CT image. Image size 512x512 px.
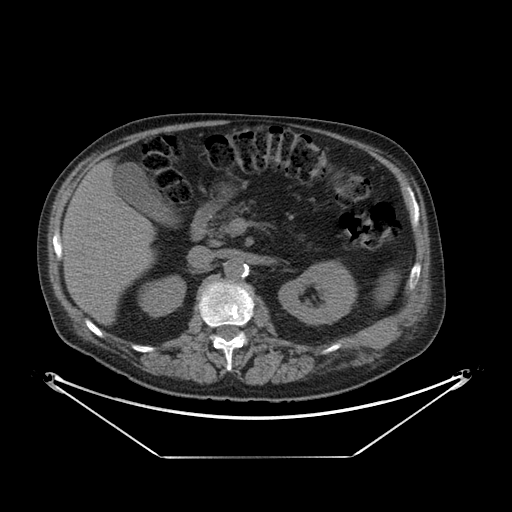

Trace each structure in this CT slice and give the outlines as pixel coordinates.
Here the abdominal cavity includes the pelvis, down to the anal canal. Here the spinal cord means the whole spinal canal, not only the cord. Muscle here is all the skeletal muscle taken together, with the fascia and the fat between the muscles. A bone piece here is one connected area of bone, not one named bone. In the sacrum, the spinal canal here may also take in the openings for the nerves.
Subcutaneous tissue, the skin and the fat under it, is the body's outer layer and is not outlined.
{"bones":[{"outer":[[221,279],[249,284],[254,293],[253,299],[255,303],[253,315],[244,327],[247,343],[241,347],[235,348],[232,351],[232,367],[230,371],[226,369],[227,362],[223,350],[217,349],[213,346],[210,339],[212,329],[202,319],[198,307],[201,290],[208,283]],"hole":[[222,325],[234,325],[235,326],[237,326],[239,328],[239,330],[238,331],[237,334],[235,336],[234,336],[232,338],[231,338],[230,339],[227,340],[226,339],[223,338],[221,336],[218,335],[216,333],[216,328],[217,327],[218,327],[219,326],[221,326]]},[[407,185],[409,185],[413,190],[415,195],[415,198],[419,207],[419,221],[418,224],[415,227],[412,226],[411,224],[411,220],[410,219],[410,213],[409,212],[408,202],[407,201],[407,197],[408,196],[407,195],[407,192],[405,190],[405,187]],[[416,262],[418,262],[421,266],[421,268],[420,269],[420,274],[419,275],[418,281],[415,287],[413,289],[410,289],[409,288],[409,285],[408,284],[408,280],[409,279],[409,276],[410,275],[410,271],[411,270],[411,268],[414,264],[414,263]],[[57,227],[58,227],[59,228],[59,236],[60,237],[60,241],[61,242],[61,259],[60,260],[59,260],[57,258],[57,257],[56,256],[56,254],[54,251],[54,248],[53,247],[53,242],[52,241],[52,239],[53,238],[53,235],[54,234],[55,229]],[[86,318],[87,318],[88,319],[89,319],[96,326],[97,326],[101,330],[101,331],[103,333],[103,337],[99,337],[97,335],[96,335],[92,331],[91,331],[88,328],[88,327],[86,325],[86,324],[85,323],[85,319]],[[132,344],[140,344],[141,345],[148,345],[149,346],[153,346],[154,347],[155,347],[155,349],[154,350],[153,350],[152,351],[149,351],[148,352],[140,352],[139,351],[137,351],[136,350],[135,350],[134,349],[133,349],[131,347],[131,345]],[[337,342],[339,342],[341,344],[341,346],[339,348],[338,348],[334,351],[332,351],[331,352],[329,352],[328,353],[326,353],[325,354],[322,354],[321,353],[321,351],[323,349],[325,349],[329,346],[330,346],[332,344],[333,344],[334,343],[336,343]]],"abdominal_cavity":[[[234,123],[280,124],[325,135],[363,150],[393,173],[415,243],[405,299],[397,311],[325,343],[298,343],[277,336],[265,302],[249,283],[221,278],[197,294],[185,331],[149,345],[101,329],[72,303],[60,271],[60,225],[86,172],[106,156],[147,137]]],"spinal_cord":[[[222,325],[234,325],[235,326],[237,326],[239,328],[239,330],[238,331],[237,334],[235,336],[234,336],[232,338],[231,338],[230,339],[227,340],[226,339],[223,338],[221,336],[218,335],[216,333],[216,328],[217,327],[218,327],[219,326],[221,326]]],"torso":[[[181,112],[285,115],[338,121],[377,131],[400,144],[416,162],[429,187],[442,243],[446,309],[432,343],[417,357],[355,389],[280,402],[197,399],[162,393],[131,381],[67,345],[53,327],[37,273],[37,225],[46,194],[64,167],[107,131],[135,119]]],"muscle":[{"outer":[[228,119],[255,119],[256,120],[276,121],[284,123],[293,123],[337,133],[348,138],[368,144],[380,149],[386,154],[390,155],[392,158],[395,159],[399,163],[400,166],[409,172],[416,181],[423,197],[428,224],[428,235],[430,248],[430,265],[429,266],[429,278],[431,290],[430,301],[427,311],[421,320],[417,322],[415,325],[406,328],[404,330],[404,332],[395,341],[392,342],[383,350],[384,353],[383,355],[380,358],[376,359],[372,363],[366,363],[359,366],[350,366],[338,370],[327,371],[321,374],[316,373],[313,374],[306,380],[298,380],[286,383],[274,384],[268,382],[262,385],[250,385],[244,383],[233,374],[228,372],[222,378],[215,382],[208,384],[206,383],[200,384],[193,380],[185,380],[169,376],[151,374],[133,365],[119,355],[113,353],[109,350],[104,349],[89,341],[84,340],[74,331],[71,319],[54,294],[48,274],[48,253],[47,252],[47,233],[52,205],[58,190],[68,175],[86,157],[101,147],[115,143],[121,138],[128,135],[167,125],[197,121],[206,121],[207,120],[227,120]],"holes":[[[234,123],[286,125],[363,150],[393,173],[407,206],[409,185],[419,207],[419,221],[412,228],[414,262],[421,266],[415,287],[405,287],[403,305],[394,313],[318,345],[277,336],[265,302],[255,294],[253,315],[244,327],[247,343],[232,351],[230,371],[200,315],[198,293],[185,331],[154,345],[152,351],[137,351],[133,342],[103,329],[99,337],[65,292],[52,241],[78,182],[98,161],[144,138]],[[337,342],[339,342],[341,344],[341,346],[339,348],[338,348],[334,351],[332,351],[331,352],[329,352],[328,353],[326,353],[325,354],[322,354],[321,353],[321,351],[323,349],[325,349],[329,346],[330,346],[332,344],[333,344],[334,343],[336,343]]]}]}